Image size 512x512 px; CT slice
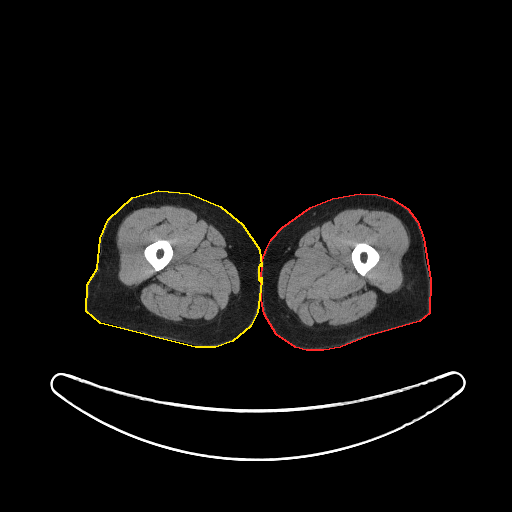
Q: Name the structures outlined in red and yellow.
A: red: left leg; yellow: right leg.
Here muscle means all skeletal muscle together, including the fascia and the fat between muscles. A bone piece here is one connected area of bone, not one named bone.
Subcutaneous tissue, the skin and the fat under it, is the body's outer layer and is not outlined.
{"left_leg":[[[360,193],[377,194],[391,198],[407,208],[417,221],[423,238],[430,279],[429,313],[419,321],[367,336],[340,347],[323,350],[306,350],[295,347],[276,334],[264,314],[261,299],[261,282],[262,260],[266,249],[271,239],[282,227],[310,207],[332,198]]],"right_leg":[[[158,190],[189,193],[220,206],[242,224],[259,249],[261,266],[260,264],[258,267],[258,279],[260,281],[261,277],[261,281],[257,312],[250,326],[232,341],[215,347],[195,347],[100,323],[86,311],[87,284],[97,268],[100,238],[108,219],[132,197]]],"muscle":[{"outer":[[349,208],[387,211],[399,218],[406,226],[409,236],[409,247],[402,257],[403,284],[397,291],[359,321],[337,329],[317,331],[304,326],[281,304],[277,288],[278,277],[284,263],[293,256],[299,239],[304,233],[327,220],[331,220],[337,213]],"hole":[[361,242],[365,242],[369,245],[372,246],[375,249],[376,249],[380,256],[378,262],[370,270],[369,270],[364,276],[359,274],[357,272],[353,265],[353,263],[351,259],[351,253],[355,246],[355,244],[356,243],[360,243]]},{"outer":[[161,205],[180,206],[194,211],[199,218],[213,225],[223,235],[226,247],[233,258],[232,262],[239,276],[239,291],[224,313],[208,324],[181,325],[165,321],[149,312],[137,299],[133,289],[118,279],[119,252],[116,245],[116,234],[121,222],[136,209]],"hole":[[158,239],[165,239],[166,240],[169,240],[170,241],[170,244],[173,250],[173,255],[170,261],[162,269],[161,269],[159,271],[154,271],[153,269],[153,267],[146,260],[144,256],[144,254],[143,252],[146,246],[154,242]]}],"bones":[[[158,239],[165,239],[166,240],[169,240],[170,241],[170,244],[173,250],[173,255],[170,261],[162,269],[161,269],[159,271],[154,271],[153,269],[153,267],[146,260],[144,256],[144,254],[143,252],[146,246],[154,242]],[[361,242],[365,242],[369,245],[372,246],[375,249],[376,249],[380,256],[378,262],[370,270],[369,270],[364,276],[359,274],[357,272],[353,265],[353,263],[351,259],[351,253],[355,246],[355,244],[356,243],[360,243]]]}